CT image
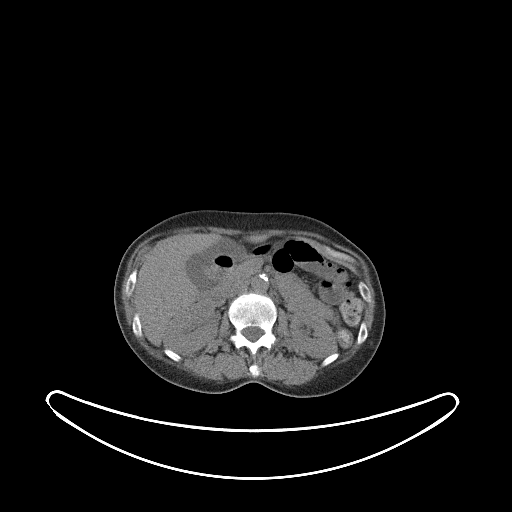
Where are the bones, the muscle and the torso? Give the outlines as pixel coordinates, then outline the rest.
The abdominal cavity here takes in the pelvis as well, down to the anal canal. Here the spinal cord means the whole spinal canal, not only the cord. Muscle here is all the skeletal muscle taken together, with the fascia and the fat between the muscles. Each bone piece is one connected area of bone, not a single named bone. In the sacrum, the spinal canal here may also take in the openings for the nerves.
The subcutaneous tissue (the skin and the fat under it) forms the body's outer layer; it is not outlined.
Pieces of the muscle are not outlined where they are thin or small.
Outlines:
bones 1: 244,292 256,292 269,296 277,309 276,320 272,327 272,332 276,337 276,341 270,349 260,347 257,350 254,358 246,347 241,347 237,349 229,340 229,337 234,332 234,327 228,316 227,312 228,307 235,297 with a hole at 247,327 258,327 259,328 260,328 263,331 263,334 262,335 261,335 256,340 255,340 254,341 251,341 250,340 249,340 245,336 244,336 243,335 243,334 242,333 242,330 243,329 244,329 245,328 246,328
bones 2: 135,268 137,268 137,274 136,275 136,281 135,282 135,285 133,288 133,291 131,295 129,297 128,297 125,294 124,292 124,289 125,288 125,284 127,281 127,279 128,277 130,275 132,271
bones 3: 136,312 138,312 139,313 139,318 140,319 140,322 141,323 141,327 140,328 140,332 141,333 141,337 136,337 134,335 134,334 133,333 133,331 132,330 132,323 133,322 133,316 134,315 134,314
bones 4: 359,281 362,281 368,287 368,288 369,289 369,291 370,292 370,294 371,295 371,297 372,298 372,301 371,302 370,302 369,303 368,302 365,301 365,300 362,297 362,296 359,291 359,289 358,288 358,282
bones 5: 362,321 364,321 365,322 365,324 366,325 366,328 367,329 367,332 368,334 367,335 367,337 365,341 364,341 361,344 358,344 357,343 357,340 358,339 358,331 360,327 360,324
bones 6: 324,246 327,246 332,250 334,250 335,251 338,251 339,252 342,252 345,254 347,254 351,256 354,259 354,261 353,262 351,262 345,259 343,259 340,257 337,257 336,256 334,256 332,255 324,247
bones 7: 165,348 168,348 169,349 170,349 171,350 172,350 174,352 175,352 177,354 178,354 181,357 181,359 179,361 175,361 174,360 173,360 171,358 170,358 167,355 166,355 166,354 164,352 164,349
bones 8: 335,352 336,352 339,354 338,355 338,356 336,358 336,359 335,360 334,360 332,362 331,362 329,364 328,364 325,366 323,366 321,364 322,361 327,356 328,356 330,354 331,354 332,353 334,353
bones 9: 253,363 255,363 257,365 257,366 259,368 259,374 256,377 253,377 251,375 251,373 250,372 250,371 249,370 249,367
muscle: 187,226 216,226 217,227 222,227 223,228 241,229 246,231 248,230 261,230 262,229 293,229 294,230 311,231 312,232 318,233 328,238 330,240 355,252 363,259 368,267 372,286 375,293 375,311 374,312 374,319 372,323 372,328 369,333 369,336 368,337 368,340 369,341 368,341 362,349 349,361 324,371 322,374 320,374 307,383 301,384 300,385 292,385 291,386 280,385 271,381 269,381 265,378 257,377 260,374 260,368 255,362 253,362 248,367 248,370 250,373 250,375 252,377 242,377 235,380 226,381 223,383 218,383 217,382 210,382 209,381 192,376 188,374 185,371 179,370 172,366 167,365 161,361 151,357 134,339 132,335 132,332 127,325 124,310 122,307 123,306 122,305 122,300 121,299 121,286 122,285 124,274 126,270 127,262 135,248 141,242 147,238 160,232 165,232 174,228 186,227; inner edges: 192,231 285,236 344,265 372,298 364,304 365,341 323,366 298,347 281,308 272,327 276,341 254,358 229,340 234,327 226,311 197,356 175,361 136,337 132,323 139,310 134,292 124,292 128,277 158,241, then 324,246 327,246 332,250 334,250 335,251 338,251 339,252 342,252 345,254 347,254 351,256 354,259 354,261 353,262 351,262 345,259 343,259 340,257 337,257 336,256 334,256 332,255 324,247
torso: 195,209 283,211 308,215 329,224 367,254 379,276 385,302 385,325 374,356 352,382 318,397 292,397 258,383 209,394 185,389 162,379 136,356 122,335 114,310 113,287 121,257 130,243 154,224 174,214
spinal cord: 247,327 258,327 259,328 260,328 263,331 263,334 262,335 261,335 256,340 255,340 254,341 251,341 250,340 249,340 245,336 244,336 243,335 243,334 242,333 242,330 243,329 244,329 245,328 246,328
abdominal cavity: 192,231 285,236 302,240 325,258 344,265 358,278 357,288 365,302 357,339 340,352 311,358 290,335 286,314 273,299 265,293 244,291 230,301 218,331 199,355 180,355 146,341 134,297 140,265 161,239